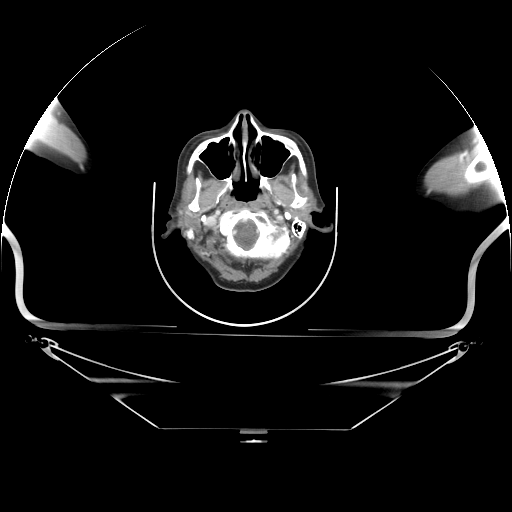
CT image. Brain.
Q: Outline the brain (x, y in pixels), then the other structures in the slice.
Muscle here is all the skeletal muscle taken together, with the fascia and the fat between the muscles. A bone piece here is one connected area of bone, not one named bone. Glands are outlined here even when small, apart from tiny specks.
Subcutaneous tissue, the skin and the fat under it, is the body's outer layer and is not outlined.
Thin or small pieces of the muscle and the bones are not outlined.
A: The brain is outlined by 249,220 251,221 254,224 255,226 255,230 257,233 257,237 255,239 253,243 249,247 244,247 240,245 235,239 235,234 237,232 235,228 237,224 239,222 242,222 243,223 245,223. The parotid glands appear in 2 outlined pieces: piece 1: 309,186 310,187 310,188 312,190 312,191 314,193 314,194 315,195 315,197 316,198 316,199 318,201 318,202 315,205 313,205 313,204 310,201 310,195 309,194; piece 2: 181,199 181,201 184,204 184,205 185,206 185,209 184,210 184,211 183,211 181,213 179,213 179,212 178,211 177,211 177,206 178,205 178,204 179,203 179,201. The bones appear in 6 outlined pieces: piece 1: 244,112 251,114 262,130 286,136 297,144 307,178 295,156 280,170 288,151 263,136 255,155 261,157 260,173 271,177 272,191 260,189 257,177 250,174 245,181 241,175 233,181 232,190 227,190 214,205 223,185 218,179 226,178 232,169 233,158 227,153 229,140 211,143 201,155 212,173 196,161 187,174 188,161 200,142 226,132 236,115; inner edges: 240,120 240,128 239,129 239,137 240,138 239,139 239,141 237,139 236,139 236,138 235,137 235,136 234,135 234,132 235,131 235,130 236,129 236,128 237,127 237,126 239,124 239,123 240,122, then 249,124 250,124 250,125 255,130 255,135 251,139 250,139 249,138; piece 2: 242,207 254,211 264,210 272,220 284,211 288,211 306,223 304,235 300,239 293,237 286,252 278,258 236,258 222,245 224,238 218,229 204,225 201,216 205,214 206,221 210,224 214,222 215,227 220,214, around a hole outlined by 249,220 251,221 254,224 255,226 255,230 257,233 257,237 255,239 253,243 249,247 244,247 240,245 235,239 235,234 237,232 235,228 237,224 239,222 242,222 243,223 245,223; piece 3: 487,147 488,147 489,149 489,151 493,158 494,163 496,166 495,173 485,181 483,181 480,183 472,183 471,184 469,184 465,180 463,176 464,170 468,163 472,159 472,158 474,157 477,152 483,148 486,148; piece 4: 292,173 294,173 296,177 295,185 296,186 296,189 298,193 302,196 306,196 308,197 308,199 306,202 307,203 302,207 300,207 299,208 294,208 290,206 290,204 293,199 293,190 291,186 291,174; piece 5: 197,177 199,179 200,181 200,184 201,185 200,187 200,191 199,192 199,198 198,199 198,202 199,203 200,209 198,211 194,212 188,209 187,208 187,205 194,198 195,196 195,194 196,193 196,182 195,180; piece 6: 190,227 191,227 193,229 193,230 194,231 194,238 193,239 191,239 190,240 189,239 187,239 184,236 184,232 188,228 189,228. The muscle appears in 3 outlined pieces: piece 1: 268,131 289,134 299,142 308,161 310,184 308,186 308,194 309,201 314,206 307,209 307,224 303,219 297,215 292,215 288,210 284,210 272,219 261,208 256,210 248,206 242,206 238,209 231,208 219,214 215,226 215,222 208,222 208,216 203,213 200,216 203,225 217,229 217,232 223,238 221,245 230,256 236,259 278,259 287,252 293,238 302,239 293,254 270,277 257,283 228,281 220,278 218,273 194,251 188,240 190,241 195,238 195,231 191,226 183,231 180,223 177,212 181,214 186,209 185,204 180,199 184,160 188,150 196,141 204,136 222,133 206,138 195,146 188,158 185,172 189,175 195,163 199,162 222,183 215,195 214,206 227,191 231,192 237,200 254,200 260,190 265,189 269,193 273,191 274,188 270,182 272,177 292,157 296,158 303,177 305,179 308,178 306,163 298,144 286,135 with holes at 292,173 294,173 296,177 295,185 296,186 296,189 298,193 302,196 306,196 308,197 308,199 306,202 307,203 302,207 300,207 299,208 294,208 290,206 290,204 293,199 293,190 291,186 291,174 and at 197,177 199,179 200,181 200,184 201,185 200,187 200,191 199,192 199,198 198,199 198,202 199,203 200,209 198,211 194,212 188,209 187,208 187,205 194,198 195,196 195,194 196,193 196,182 195,180; piece 2: 481,135 485,140 487,146 483,147 476,152 465,166 462,176 469,185 480,184 493,176 496,173 497,169 501,185 486,192 469,193 462,197 451,197 441,193 426,193 423,186 423,179 428,169 440,158 474,141; piece 3: 44,111 48,112 54,116 55,118 58,119 63,124 69,127 80,139 86,150 86,153 87,154 87,158 85,162 75,162 65,156 61,152 58,151 53,147 47,144 44,144 34,139 29,138 29,136 34,126. The left arm is outlined by 474,124 485,140 493,158 501,182 502,195 501,196 501,203 499,205 490,209 483,214 470,215 463,219 454,216 445,207 437,203 417,197 414,194 413,186 416,176 423,165 449,140 466,128 472,127. The head is outlined by 244,107 264,124 291,129 304,138 325,204 322,212 311,213 312,220 317,225 327,219 333,223 329,233 310,229 301,256 286,275 258,291 217,286 178,230 161,238 170,218 167,211 183,146 195,134 222,126 with holes at 263,137 269,138 274,142 279,143 287,151 287,155 283,160 279,170 272,176 264,175 261,173 260,164 262,157 259,152 258,155 256,155 256,150 258,146 260,146 261,148 262,147 263,143 262,142 262,138 and at 224,139 227,139 228,140 227,141 227,146 229,147 229,150 228,148 226,153 228,156 229,154 231,155 232,164 229,174 226,177 218,178 214,175 208,164 202,158 202,155 208,149 211,144 219,144 and at 250,175 252,178 255,179 257,178 258,180 258,188 259,191 257,193 256,197 254,199 251,200 240,200 237,199 232,192 234,188 233,186 234,181 239,180 241,176 242,176 244,181 246,182 248,180 248,178 and at 240,120 240,128 239,129 239,137 240,138 239,139 239,141 237,139 236,139 236,138 235,137 235,136 234,135 234,132 235,131 235,130 236,129 236,128 237,127 237,126 239,124 239,123 240,122 and at 249,124 250,124 250,125 255,130 255,135 251,139 250,139 249,138. The right arm is outlined by 55,98 63,105 68,112 71,118 76,124 78,129 87,141 91,149 93,156 93,167 91,171 86,175 77,175 70,171 58,167 49,161 32,154 25,148 25,144 27,139 30,135 34,126 44,110 50,102.